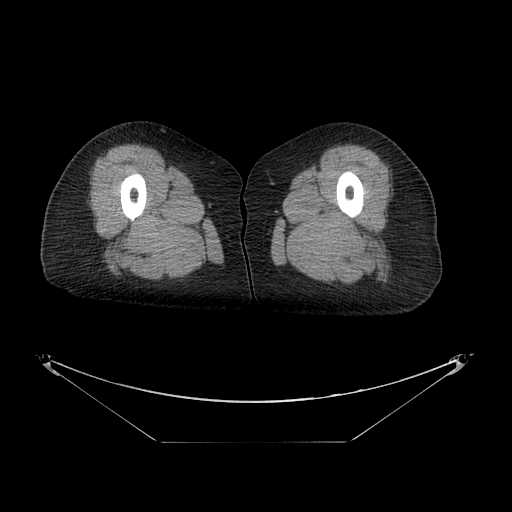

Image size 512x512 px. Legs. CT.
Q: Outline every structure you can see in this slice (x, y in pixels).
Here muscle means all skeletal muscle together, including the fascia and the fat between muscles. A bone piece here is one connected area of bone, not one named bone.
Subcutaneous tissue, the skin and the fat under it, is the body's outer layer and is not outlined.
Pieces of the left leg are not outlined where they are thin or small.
A: The muscle appears in 2 outlined pieces: piece 1: 332 143; 353 143; 363 145; 372 149; 389 161; 393 175; 393 195; 388 209; 385 244; 389 252; 392 272; 389 277; 389 282; 381 287; 369 285; 337 285; 305 280; 283 275; 274 267; 271 257; 270 246; 273 229; 287 185; 306 160, around a hole outlined by 347 170; 352 170; 357 175; 360 179; 365 190; 364 198; 363 199; 364 200; 363 201; 362 210; 358 215; 353 218; 349 217; 345 213; 341 211; 337 204; 337 200; 336 199; 336 184; 337 183; 338 177; 342 173; 342 172; piece 2: 133 142; 149 145; 155 148; 162 156; 182 170; 192 182; 207 210; 221 245; 223 253; 223 262; 216 268; 190 275; 179 280; 165 279; 157 281; 119 279; 103 268; 104 266; 97 247; 86 199; 89 171; 97 156; 106 149; 113 145, around a hole outlined by 131 173; 141 174; 143 176; 145 180; 146 192; 147 193; 146 196; 146 203; 143 212; 141 215; 136 217; 133 221; 131 221; 126 217; 122 212; 121 204; 120 203; 120 193; 119 192; 119 189; 120 188; 119 187; 119 184; 125 177. The bones appear in 2 outlined pieces: piece 1: 347 170; 352 170; 357 175; 360 179; 365 190; 364 198; 363 199; 364 200; 363 201; 362 210; 358 215; 353 218; 349 217; 345 213; 341 211; 337 204; 337 200; 336 199; 336 184; 337 183; 338 177; 342 173; 342 172; piece 2: 131 173; 141 174; 143 176; 145 180; 146 192; 147 193; 146 196; 146 203; 143 212; 141 215; 136 217; 133 221; 131 221; 126 217; 122 212; 121 204; 120 203; 120 193; 119 192; 119 189; 120 188; 119 187; 119 184; 125 177. The left leg is outlined by 330 121; 353 121; 381 131; 403 149; 420 169; 430 186; 437 215; 437 238; 442 258; 442 276; 432 295; 411 312; 371 317; 276 313; 259 303; 252 295; 249 267; 241 235; 247 219; 243 190; 248 174; 254 163; 267 151; 307 129. The right leg is outlined by 140 119; 163 123; 180 131; 228 160; 240 174; 243 189; 239 198; 244 224; 240 235; 252 296; 243 309; 239 311; 172 309; 79 298; 45 280; 39 257; 43 218; 49 196; 65 166; 77 150; 100 131; 124 121.